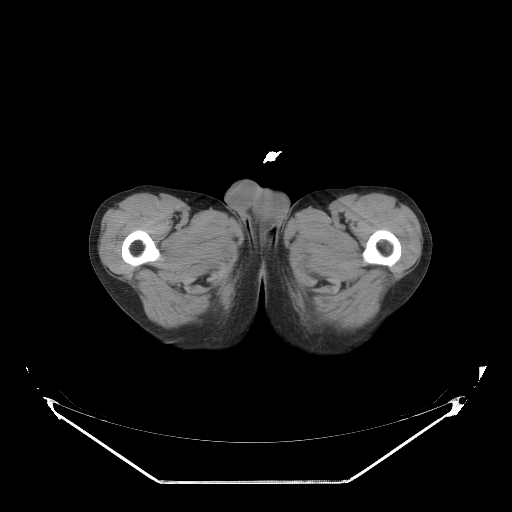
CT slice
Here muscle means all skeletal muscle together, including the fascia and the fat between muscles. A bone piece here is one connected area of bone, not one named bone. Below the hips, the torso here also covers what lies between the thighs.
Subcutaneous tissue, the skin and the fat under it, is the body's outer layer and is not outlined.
{"left_leg":[[[351,185],[389,186],[399,189],[412,197],[423,212],[432,236],[431,258],[427,271],[413,294],[402,306],[383,322],[374,336],[367,343],[349,355],[311,356],[288,348],[272,334],[265,315],[260,258],[276,242],[293,202],[315,190],[325,188],[344,188]]],"muscle":[{"outer":[[353,192],[380,192],[401,199],[403,203],[413,211],[420,223],[423,237],[421,256],[411,272],[387,291],[375,317],[356,333],[351,335],[314,334],[307,329],[298,315],[284,281],[282,271],[284,230],[289,219],[302,206],[326,204],[338,196]],"hole":[[378,229],[385,229],[386,230],[388,230],[392,232],[398,238],[400,242],[400,244],[401,245],[401,255],[399,259],[391,266],[381,265],[380,264],[367,264],[365,263],[363,260],[363,258],[362,257],[362,252],[365,248],[366,242],[370,235],[374,231]]},{"outer":[[154,191],[166,192],[197,208],[212,207],[226,212],[244,230],[242,248],[233,271],[234,291],[231,305],[221,317],[212,322],[184,325],[177,329],[165,329],[155,324],[145,314],[137,293],[125,282],[109,275],[99,258],[97,246],[104,213],[127,194]],"hole":[[137,229],[140,229],[147,232],[147,233],[151,237],[156,247],[160,252],[160,258],[152,262],[147,262],[143,264],[140,264],[136,266],[133,266],[124,261],[124,260],[122,258],[122,256],[121,255],[121,246],[122,245],[122,242],[124,238],[130,232]]}],"right_leg":[[[141,184],[154,184],[201,192],[222,200],[225,205],[239,216],[260,261],[262,289],[253,326],[241,343],[233,349],[223,353],[210,353],[204,351],[183,352],[170,348],[155,339],[129,317],[112,299],[94,272],[88,254],[88,235],[97,207],[109,196]]],"torso":[[[242,178],[252,179],[256,181],[261,186],[264,187],[272,187],[281,189],[285,191],[290,196],[292,202],[290,209],[283,223],[283,225],[277,235],[275,242],[259,258],[256,254],[249,233],[240,216],[225,204],[223,200],[223,195],[226,189],[234,181]]],"bones":[[[378,229],[385,229],[386,230],[388,230],[392,232],[398,238],[400,242],[400,244],[401,245],[401,255],[399,259],[391,266],[381,265],[380,264],[367,264],[365,263],[363,260],[363,258],[362,257],[362,252],[365,248],[366,242],[370,235],[374,231]],[[137,229],[140,229],[147,232],[147,233],[151,237],[156,247],[160,252],[160,258],[152,262],[147,262],[143,264],[140,264],[136,266],[133,266],[124,261],[124,260],[122,258],[122,256],[121,255],[121,246],[122,245],[122,242],[124,238],[130,232]]]}